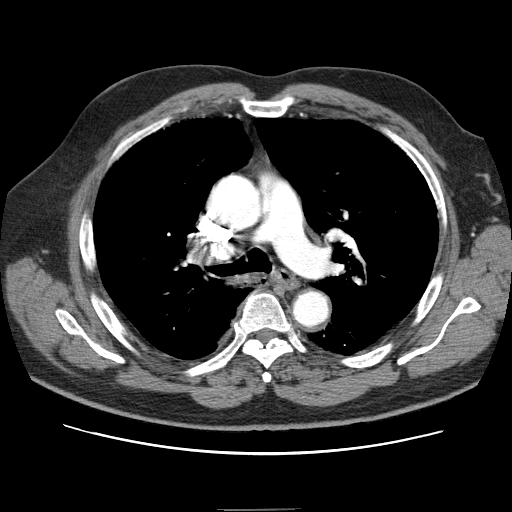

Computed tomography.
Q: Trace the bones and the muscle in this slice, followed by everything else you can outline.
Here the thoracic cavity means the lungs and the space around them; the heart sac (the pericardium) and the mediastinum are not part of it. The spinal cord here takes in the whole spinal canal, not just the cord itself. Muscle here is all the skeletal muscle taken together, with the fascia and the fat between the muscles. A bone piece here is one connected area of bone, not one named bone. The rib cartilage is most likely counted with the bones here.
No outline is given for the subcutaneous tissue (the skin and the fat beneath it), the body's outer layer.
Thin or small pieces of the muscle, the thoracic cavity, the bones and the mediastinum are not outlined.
A: The bones appear in 10 outlined pieces: piece 1: 252,291 269,292 279,300 309,351 303,354 295,350 278,356 268,368 271,374 269,382 262,379 263,365 240,349 223,367 214,371 195,376 177,372 212,357 228,344 234,334 232,321 240,318 243,302, around a hole outlined by 263,328 268,328 269,329 271,329 272,330 275,331 277,333 277,335 275,337 274,337 273,338 271,338 265,344 264,344 262,342 261,342 258,339 257,339 255,336 255,333 257,331 258,331 259,330 260,330; piece 2: 378,125 384,125 406,139 417,148 430,164 439,182 445,203 447,215 447,227 445,232 442,226 439,223 439,219 437,215 438,211 436,204 425,178 417,166 405,152 388,137 379,131; piece 3: 91,291 96,292 109,305 119,321 123,325 126,330 134,338 134,340 131,342 139,351 140,356 136,356 132,352 127,349 113,335 112,335 112,334 108,330 98,316 92,305 92,303 90,299 90,292; piece 4: 287,94 292,95 296,99 296,102 289,107 287,112 284,115 279,117 254,117 244,112 242,110 241,105 238,101 238,98 240,96 244,96 246,98 252,100 255,99 270,99 271,100 275,100 276,99 280,99; piece 5: 167,113 171,113 173,116 173,118 165,127 161,128 155,132 151,133 135,143 129,148 110,167 106,173 104,174 104,170 106,167 107,162 116,146 122,138 128,133 145,126 151,121 157,119 161,115; piece 6: 58,308 64,309 69,312 75,318 77,322 92,340 98,343 105,349 111,352 117,353 121,355 125,359 125,363 123,364 117,363 111,359 99,355 80,335 74,335 68,333 61,325 55,314 55,310; piece 7: 466,296 474,298 481,305 478,310 470,313 461,313 457,315 448,324 445,329 443,336 432,348 424,353 416,355 403,364 398,365 396,363 396,360 402,355 421,346 430,344 437,337 443,324 454,311 459,302; piece 8: 85,211 89,213 92,219 93,243 94,244 95,258 96,259 96,265 97,266 96,267 97,269 94,272 89,272 86,270 82,260 82,256 81,255 80,247 79,246 79,227 80,226 80,221 81,220 82,214; piece 9: 389,340 392,340 394,344 394,346 391,352 390,352 380,362 368,367 354,368 353,367 345,366 339,363 338,361 338,358 335,356 336,354 339,354 342,356 351,356 352,355 359,355 360,354 363,354 387,342; piece 10: 435,270 441,270 443,272 443,280 442,281 442,284 441,285 439,293 429,311 425,315 422,320 417,325 415,326 411,326 410,325 410,323 411,322 411,319 414,314 414,311 416,308 416,306 422,295 424,293. The muscle is outlined by 220,81 240,82 258,98 240,95 237,101 242,111 216,110 170,124 173,114 163,113 128,132 106,162 92,218 86,210 81,214 81,260 87,272 97,270 109,301 94,290 89,292 89,299 111,335 136,357 141,353 132,342 135,340 165,360 198,361 176,372 188,377 223,368 240,350 262,365 261,379 269,383 269,368 278,357 295,351 305,355 309,344 335,354 345,367 374,366 395,346 392,339 382,342 408,318 411,327 423,320 444,280 441,269 433,273 439,224 445,233 448,227 440,182 418,148 384,124 378,124 378,130 352,118 305,110 287,113 297,102 292,94 267,98 287,84 315,82 363,96 406,118 447,162 463,198 511,230 507,313 487,348 463,365 371,390 335,405 294,403 268,387 248,401 220,409 201,405 185,393 116,388 84,379 64,371 36,350 10,310 6,265 39,250 57,231 72,194 118,126 179,91; inner edges: 58,308 64,309 69,312 75,318 77,322 92,340 98,343 105,349 111,352 117,353 121,355 125,359 125,363 123,364 117,363 111,359 99,355 80,335 74,335 68,333 61,325 55,314 55,310, then 466,296 474,298 481,305 478,310 470,313 461,313 457,315 448,324 445,329 443,336 432,348 424,353 416,355 403,364 398,365 396,363 396,360 402,355 421,346 430,344 437,337 443,324 454,311 459,302, then 184,105 189,105 189,109 188,110 187,110 186,111 185,111 184,112 174,112 174,110 175,110 176,109 177,109 178,108 179,108 180,107 181,107 182,106 183,106. The spinal cord is outlined by 263,328 268,328 269,329 271,329 272,330 275,331 277,333 277,335 275,337 274,337 273,338 271,338 265,344 264,344 262,342 261,342 258,339 257,339 255,336 255,333 257,331 258,331 259,330 260,330. The thoracic cavity appears in 2 outlined pieces: piece 1: 205,114 240,122 251,154 243,166 211,186 194,225 198,247 204,257 253,289 242,302 239,318 231,321 233,334 227,344 202,361 185,363 165,359 146,349 110,306 97,267 93,214 102,179 129,149 173,123; piece 2: 285,115 296,119 352,119 377,130 416,166 433,198 438,244 429,281 413,314 366,352 342,355 302,338 324,330 331,322 332,300 314,284 332,273 332,262 329,248 306,218 300,195 272,162 255,125 255,118. The torso is outlined by 189,63 227,65 263,75 319,65 395,73 421,85 464,128 483,138 508,213 511,279 506,316 471,390 371,422 281,431 214,431 100,411 31,379 12,335 2,291 0,238 8,191 58,145 98,92 142,70. The mediastinum is outlined by 216,111 243,112 254,118 271,162 299,195 307,222 330,252 331,273 313,284 331,300 330,322 307,337 296,330 273,293 253,290 200,250 195,225 212,186 223,176 243,167 252,154 242,123 235,118 208,115.